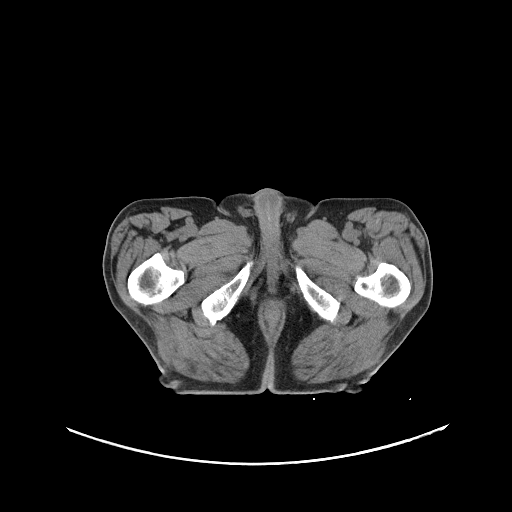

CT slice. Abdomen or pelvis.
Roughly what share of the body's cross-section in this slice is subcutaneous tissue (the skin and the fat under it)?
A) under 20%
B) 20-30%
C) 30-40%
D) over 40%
Answer: C) 30-40%
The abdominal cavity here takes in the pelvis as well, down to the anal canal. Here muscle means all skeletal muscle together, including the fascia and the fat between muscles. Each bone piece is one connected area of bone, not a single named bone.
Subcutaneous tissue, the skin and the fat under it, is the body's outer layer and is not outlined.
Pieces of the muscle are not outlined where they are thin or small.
Outlined structures:
torso: 265 187; 313 203; 334 197; 395 198; 412 209; 427 234; 433 270; 429 307; 359 393; 274 394; 265 389; 252 395; 177 394; 159 382; 156 362; 109 299; 102 256; 109 227; 125 205; 142 198; 176 196; 219 201; 229 194; 253 193
abdominal cavity: 271 300; 275 304; 276 304; 277 305; 277 306; 280 310; 280 317; 277 321; 277 324; 274 327; 273 330; 271 332; 271 334; 270 333; 270 332; 269 331; 268 331; 268 324; 265 320; 265 319; 263 317; 264 316; 264 307
muscle 1: 140 206; 181 208; 204 222; 219 217; 254 234; 259 258; 246 294; 239 298; 254 264; 249 259; 199 304; 212 327; 229 314; 226 324; 249 357; 239 381; 202 381; 170 369; 158 352; 151 329; 121 300; 111 271; 112 235; 127 214, around a hole outlined by 157 252; 159 252; 161 254; 164 261; 170 267; 175 269; 180 269; 183 271; 184 274; 184 282; 168 297; 160 302; 153 304; 149 304; 148 305; 143 305; 134 300; 130 296; 127 288; 127 278; 129 273; 134 267; 137 266; 141 262
muscle 2: 370 206; 401 208; 420 231; 424 240; 426 271; 423 295; 389 338; 382 355; 372 367; 349 378; 319 383; 300 381; 292 372; 291 356; 299 342; 319 322; 302 300; 290 270; 287 241; 298 225; 321 218; 329 222; 337 220; 356 209; inner edges: 382 261; 388 263; 391 263; 398 267; 406 275; 411 285; 409 295; 406 299; 401 304; 393 308; 388 308; 384 306; 381 306; 375 301; 358 294; 354 290; 354 283; 356 280; 356 277; 358 275; 363 276; 372 273; 376 269; 378 264, then 297 264; 301 267; 308 277; 313 282; 331 294; 340 302; 340 306; 338 310; 337 317; 335 319; 334 323; 331 323; 328 320; 323 319; 320 317; 310 307; 304 299; 303 294; 300 289; 300 287; 298 284; 295 275; 294 266
muscle 3: 266 296; 270 298; 278 298; 278 299; 283 304; 283 306; 286 311; 285 314; 285 321; 283 327; 278 337; 275 340; 274 339; 272 341; 267 341; 265 339; 263 332; 259 325; 258 322; 258 316; 257 315; 257 311; 258 310; 259 304 with a hole at 271 300; 275 304; 276 304; 277 305; 277 306; 280 310; 280 317; 277 321; 277 324; 274 327; 273 330; 271 332; 271 334; 270 333; 270 332; 269 331; 268 331; 268 324; 265 320; 265 319; 263 317; 264 316; 264 307
bones 1: 157 252; 159 252; 161 254; 164 261; 170 267; 175 269; 180 269; 183 271; 184 274; 184 282; 168 297; 160 302; 153 304; 149 304; 148 305; 143 305; 134 300; 130 296; 127 288; 127 278; 129 273; 134 267; 137 266; 141 262
bones 2: 382 261; 388 263; 391 263; 398 267; 406 275; 411 285; 409 295; 406 299; 401 304; 393 308; 388 308; 384 306; 381 306; 375 301; 358 294; 354 290; 354 283; 356 280; 356 277; 358 275; 363 276; 372 273; 376 269; 378 264
bones 3: 249 260; 252 260; 253 264; 250 268; 250 273; 248 279; 245 285; 243 287; 236 303; 227 315; 222 319; 218 320; 214 325; 212 326; 210 325; 208 319; 205 317; 203 314; 200 305; 201 301; 214 290; 220 287; 223 284; 228 282
bones 4: 297 264; 301 267; 308 277; 313 282; 331 294; 340 302; 340 306; 338 310; 337 317; 335 319; 334 323; 331 323; 328 320; 323 319; 320 317; 310 307; 304 299; 303 294; 300 289; 300 287; 298 284; 295 275; 294 266